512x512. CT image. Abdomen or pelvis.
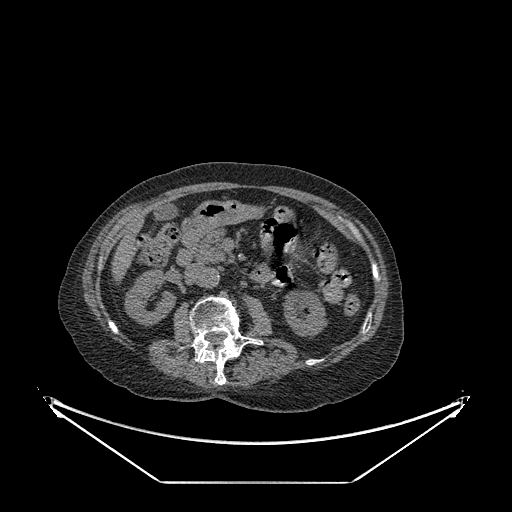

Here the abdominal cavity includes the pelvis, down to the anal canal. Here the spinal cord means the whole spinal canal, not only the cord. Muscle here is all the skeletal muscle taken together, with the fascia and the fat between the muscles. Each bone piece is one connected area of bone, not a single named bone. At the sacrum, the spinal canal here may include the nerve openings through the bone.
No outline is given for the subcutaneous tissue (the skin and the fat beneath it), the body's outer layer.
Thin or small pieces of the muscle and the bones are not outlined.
The bones appear in 6 outlined pieces: piece 1: 210,295 230,299 237,307 240,317 240,333 263,341 262,345 246,344 239,356 230,358 225,362 223,373 226,383 222,385 214,383 215,363 212,361 196,361 194,349 189,346 194,338 189,323 190,309 199,299; inner edge: 210,332 214,332 215,333 220,333 221,332 222,332 225,334 225,335 223,337 223,338 222,339 222,340 220,342 220,345 213,345 207,339 206,339 205,338 205,336 206,335 206,334 207,333 209,333; piece 2: 339,216 342,217 344,219 347,219 348,220 350,220 352,222 353,222 353,223 359,229 363,237 363,242 362,243 358,241 358,240 355,237 355,236 348,228 346,224 338,217; piece 3: 369,308 370,308 371,309 371,311 372,312 372,319 371,320 371,325 370,326 370,328 368,330 368,331 366,333 365,333 364,334 362,334 361,333 361,327 362,326 362,324 364,321 364,319 366,316 366,313; piece 4: 371,259 373,259 376,262 376,263 377,264 377,267 378,268 378,273 379,274 379,276 380,277 380,280 379,281 375,281 373,279 373,277 372,276 372,271 371,270 371,266 370,265 370,260; piece 5: 311,357 313,357 314,358 319,358 320,357 323,357 324,358 324,360 321,362 319,362 318,363 316,363 313,365 311,365 310,366 308,366 307,365 306,365 304,362 306,359 307,359 308,358 310,358; piece 6: 108,318 110,318 114,322 114,323 117,326 117,327 118,328 118,329 120,332 120,333 119,334 116,334 115,333 114,333 111,330 111,329 109,327 109,326 108,325 108,322 107,321 107,320 108,319. The abdominal cavity is outlined by 234,188 267,190 309,204 360,246 369,262 373,297 351,338 309,357 270,336 271,316 248,294 240,304 218,294 199,298 190,308 183,301 172,316 172,339 138,343 110,317 102,299 102,269 126,227 166,201. The torso is outlined by 210,161 278,164 302,169 349,190 374,213 396,257 402,283 404,339 391,369 364,391 339,402 300,412 250,409 220,398 193,402 152,399 107,380 79,353 57,309 59,286 77,242 99,214 132,186 176,168. The spinal cord is outlined by 210,332 214,332 215,333 220,333 221,332 222,332 225,334 225,335 223,337 223,338 222,339 222,340 220,342 220,345 213,345 207,339 206,339 205,338 205,336 206,335 206,334 207,333 209,333. The muscle is outlined by 212,181 227,181 228,182 243,183 244,184 278,185 279,186 291,187 295,189 299,189 320,196 337,205 345,211 356,217 369,230 374,239 378,244 378,246 380,249 383,258 383,261 385,264 386,274 389,282 389,285 388,286 388,295 386,299 383,317 376,332 371,338 360,345 346,357 336,363 334,363 329,366 317,370 296,370 289,374 285,375 282,378 279,379 276,382 272,384 264,386 261,388 256,388 251,390 238,390 237,389 229,389 228,390 200,389 196,386 190,386 186,384 183,384 172,380 169,380 161,376 149,367 143,361 137,358 129,351 119,346 99,324 95,316 90,311 90,309 85,302 83,297 82,273 83,272 83,268 85,265 85,262 87,259 87,256 94,240 103,226 104,226 117,212 124,207 132,203 150,199 170,189 177,188 181,186 190,185 191,184 196,184 197,183 202,183 203,182 211,182, around holes outlined by 234,188 309,204 376,262 380,280 368,331 310,366 307,354 270,336 262,302 243,295 239,331 263,344 228,359 218,385 215,363 196,361 189,346 189,301 173,313 172,339 138,343 109,327 97,265 158,205 and by 339,216 342,217 344,219 347,219 348,220 350,220 352,222 353,222 353,223 359,229 363,237 363,242 362,243 358,241 358,240 355,237 355,236 348,228 346,224 338,217.